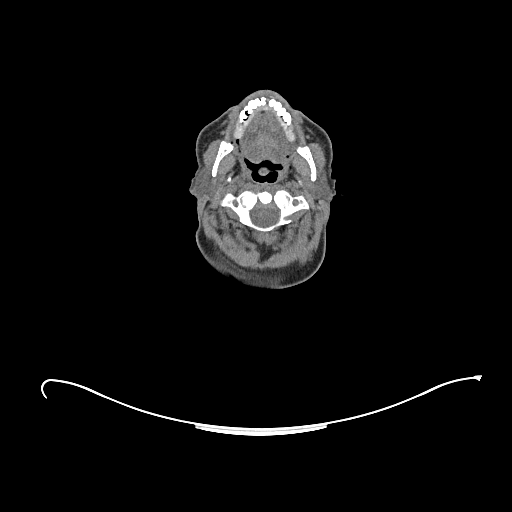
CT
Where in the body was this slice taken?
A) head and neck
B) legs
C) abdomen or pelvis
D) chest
A) head and neck
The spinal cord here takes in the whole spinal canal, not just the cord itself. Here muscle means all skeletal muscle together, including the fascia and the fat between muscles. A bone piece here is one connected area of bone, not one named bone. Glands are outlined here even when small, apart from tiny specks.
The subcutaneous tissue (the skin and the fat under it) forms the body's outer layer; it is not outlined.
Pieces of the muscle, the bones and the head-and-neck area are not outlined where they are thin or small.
{"parotid_glands":[[[203,166],[205,166],[210,172],[211,176],[212,177],[214,177],[216,179],[216,181],[218,183],[218,185],[215,192],[212,195],[210,196],[208,196],[207,195],[202,199],[200,199],[191,189],[191,186],[195,181],[196,178],[199,174],[200,170]],[[323,169],[325,170],[327,183],[329,185],[329,187],[331,190],[331,193],[327,198],[327,200],[326,201],[317,197],[315,195],[311,195],[304,187],[304,181],[305,180],[310,180],[312,182],[316,181],[318,179],[320,175],[320,172]]],"head_and_neck":[{"outer":[[259,89],[278,92],[327,132],[333,151],[331,174],[335,179],[337,191],[330,203],[326,249],[320,266],[313,275],[301,283],[273,289],[236,282],[218,273],[205,260],[195,237],[198,224],[196,198],[188,189],[197,167],[195,142],[200,130],[227,108]],"hole":[[265,161],[267,161],[268,162],[271,162],[272,163],[277,164],[280,167],[279,169],[275,172],[276,173],[276,177],[273,181],[258,181],[256,180],[253,177],[252,175],[252,170],[248,166],[246,162],[249,162],[252,164],[258,164],[259,163],[261,163]]}],"muscle":[{"outer":[[264,93],[278,97],[298,114],[323,144],[325,164],[317,179],[309,146],[295,148],[310,171],[303,187],[325,202],[319,243],[311,261],[302,267],[262,270],[230,264],[217,255],[202,224],[202,200],[216,192],[220,162],[234,149],[231,141],[221,139],[210,171],[203,153],[210,134],[230,112],[247,100],[238,114],[235,139],[242,136],[257,107],[273,108],[287,139],[295,139],[293,118],[279,100],[263,95],[251,98]],"holes":[[[280,189],[288,191],[293,196],[303,195],[310,207],[308,209],[296,211],[291,216],[292,221],[290,223],[270,232],[258,232],[246,226],[239,221],[238,216],[231,208],[220,205],[221,200],[227,193],[237,195],[244,190],[255,192],[267,190],[273,193]],[[265,161],[267,161],[268,162],[271,162],[272,163],[277,164],[280,167],[279,169],[275,172],[276,173],[276,177],[273,181],[258,181],[256,180],[253,177],[252,175],[252,170],[248,166],[246,162],[249,162],[252,164],[258,164],[259,163],[261,163]]]}],"spinal_cord":[[[257,202],[259,202],[262,205],[268,205],[271,202],[273,202],[275,204],[275,206],[278,209],[279,212],[278,213],[278,219],[274,223],[262,227],[260,227],[258,225],[252,223],[251,222],[252,219],[249,217],[250,215],[250,211],[256,205]]],"bones":[{"outer":[[280,189],[288,191],[293,196],[303,195],[310,207],[308,209],[296,211],[291,216],[292,221],[290,223],[270,232],[258,232],[246,226],[239,221],[238,216],[231,208],[220,205],[221,200],[227,193],[237,195],[244,190],[255,192],[267,190],[273,193]],"hole":[[257,202],[259,202],[262,205],[268,205],[271,202],[273,202],[275,204],[275,206],[278,209],[279,212],[278,213],[278,219],[274,223],[262,227],[260,227],[258,225],[252,223],[251,222],[252,219],[249,217],[250,215],[250,211],[256,205]]},[[262,96],[266,98],[276,99],[290,114],[292,118],[292,131],[294,134],[294,139],[292,141],[288,139],[283,128],[279,123],[274,108],[268,106],[257,106],[254,108],[252,118],[246,123],[241,136],[239,138],[235,138],[234,133],[241,110],[249,99]],[[223,139],[229,142],[231,142],[233,144],[233,149],[230,152],[225,155],[220,160],[218,167],[217,168],[217,173],[215,176],[212,176],[212,174],[211,173],[212,166],[213,165],[215,157],[217,154],[217,151],[219,147],[219,144],[221,140]],[[299,145],[301,146],[303,145],[307,145],[311,152],[311,154],[315,164],[315,167],[316,168],[316,179],[314,181],[312,181],[311,180],[311,177],[310,176],[311,174],[311,171],[307,161],[300,154],[299,154],[296,150],[297,146]]]}